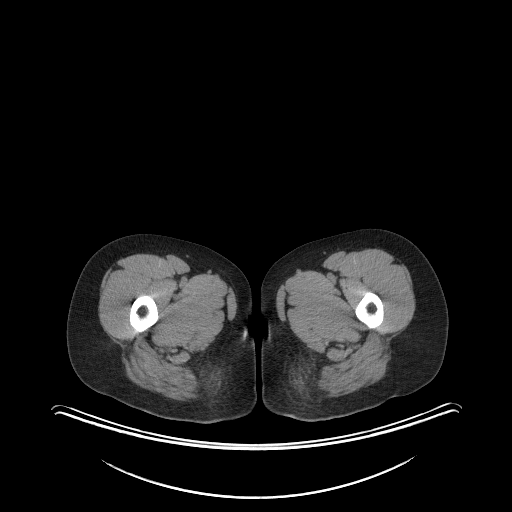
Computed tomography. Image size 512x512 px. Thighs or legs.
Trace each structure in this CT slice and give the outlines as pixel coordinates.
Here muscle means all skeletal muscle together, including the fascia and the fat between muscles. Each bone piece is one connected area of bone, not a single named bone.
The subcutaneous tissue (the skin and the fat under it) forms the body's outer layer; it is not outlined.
{"right_leg":[[[136,233],[167,235],[209,247],[233,262],[247,278],[253,301],[248,329],[255,343],[257,393],[255,407],[248,415],[214,423],[165,419],[130,407],[99,393],[85,385],[76,375],[67,352],[66,322],[70,300],[79,274],[87,260],[101,246],[118,237]]],"muscle":[{"outer":[[354,246],[373,246],[382,249],[400,260],[407,267],[415,297],[414,315],[405,329],[391,341],[391,360],[383,378],[369,386],[342,396],[322,397],[315,389],[313,381],[315,370],[305,344],[278,316],[276,295],[279,286],[296,269],[308,267],[333,252]],"hole":[[364,291],[371,291],[377,294],[382,301],[382,303],[383,304],[383,320],[382,322],[377,327],[377,328],[368,328],[368,327],[364,323],[360,321],[356,317],[356,315],[355,314],[355,311],[354,309],[356,305],[358,303],[359,300],[362,297],[364,293]]},{"outer":[[144,251],[172,253],[199,270],[210,270],[224,280],[235,295],[236,310],[233,319],[207,348],[199,363],[199,375],[203,389],[202,397],[198,399],[181,401],[168,398],[129,380],[124,374],[119,346],[111,340],[100,324],[98,302],[103,275],[118,259]],"hole":[[142,294],[147,294],[152,296],[154,301],[156,303],[157,309],[158,310],[158,315],[159,317],[157,321],[153,325],[147,329],[141,332],[136,332],[130,324],[130,322],[129,321],[129,312],[130,311],[130,307],[132,304],[132,302],[139,295],[141,295]]}],"bones":[[[142,294],[147,294],[152,296],[154,301],[156,303],[157,309],[158,310],[158,315],[159,317],[157,321],[153,325],[147,329],[141,332],[136,332],[130,324],[130,322],[129,321],[129,312],[130,311],[130,307],[132,304],[132,302],[139,295],[141,295]],[[364,291],[371,291],[377,294],[382,301],[382,303],[383,304],[383,320],[382,322],[377,327],[377,328],[368,328],[368,327],[364,323],[360,321],[356,317],[356,315],[355,314],[355,311],[354,309],[356,305],[358,303],[359,300],[362,297],[364,293]]],"left_leg":[[[360,228],[382,228],[406,237],[422,251],[433,267],[445,296],[449,319],[442,365],[435,377],[418,390],[350,415],[311,422],[276,415],[266,409],[261,396],[261,342],[266,331],[260,314],[259,301],[263,278],[271,265],[292,249],[312,240]]]}